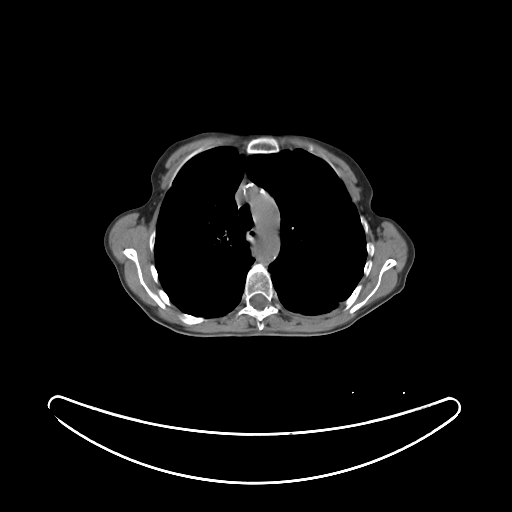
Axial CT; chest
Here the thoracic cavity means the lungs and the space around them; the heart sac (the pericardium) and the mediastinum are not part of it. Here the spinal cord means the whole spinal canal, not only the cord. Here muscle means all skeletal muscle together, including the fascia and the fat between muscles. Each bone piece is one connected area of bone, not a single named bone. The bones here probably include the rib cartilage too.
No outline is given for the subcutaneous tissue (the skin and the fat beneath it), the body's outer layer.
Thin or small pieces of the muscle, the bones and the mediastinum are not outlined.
{"thoracic_cavity":[[[217,147],[236,148],[245,157],[302,149],[326,162],[341,179],[359,216],[367,255],[363,275],[335,309],[305,315],[280,302],[268,270],[281,247],[279,208],[245,171],[234,199],[254,260],[239,303],[208,318],[172,303],[155,265],[160,208],[181,168]]],"mediastinum":[[[244,172],[252,182],[263,188],[273,198],[279,212],[279,238],[280,239],[279,252],[275,259],[267,266],[267,268],[262,263],[259,262],[254,263],[255,260],[251,255],[250,243],[246,239],[246,230],[240,223],[240,214],[235,199],[235,192],[244,175]]],"bones":[{"outer":[[259,263],[262,264],[267,269],[270,275],[273,288],[275,290],[278,300],[282,306],[277,313],[270,314],[262,320],[263,328],[261,330],[258,329],[257,321],[253,316],[248,314],[241,314],[237,317],[235,317],[233,312],[241,301],[247,272],[253,264]],"hole":[[258,294],[259,294],[260,295],[262,295],[267,300],[267,301],[268,302],[268,304],[267,305],[266,305],[263,308],[262,308],[261,309],[258,309],[257,308],[256,308],[255,307],[254,307],[251,304],[251,298],[253,296],[254,296],[255,295],[257,295]]},[[389,258],[394,259],[396,261],[396,264],[387,269],[382,274],[379,286],[375,292],[361,307],[354,312],[350,313],[347,309],[345,310],[344,301],[358,284],[361,284],[362,286],[355,301],[356,303],[361,301],[373,289],[377,283],[378,275],[384,262]],[[125,248],[135,249],[137,253],[137,257],[140,265],[143,280],[147,286],[155,293],[159,289],[162,289],[168,296],[172,304],[171,305],[167,305],[164,309],[160,307],[147,293],[139,280],[139,277],[137,273],[137,268],[135,263],[123,253],[123,250]],[[258,137],[272,137],[274,138],[277,141],[280,147],[280,150],[277,152],[272,152],[271,153],[252,153],[251,154],[248,154],[246,153],[245,152],[245,149],[246,148],[246,146],[247,144],[252,139],[254,138],[257,138]],[[205,144],[213,144],[214,145],[214,147],[207,149],[206,150],[204,150],[196,154],[190,159],[189,159],[180,168],[176,174],[175,177],[173,179],[172,183],[169,188],[169,182],[171,179],[171,177],[183,159],[187,155],[199,147]],[[182,312],[183,313],[186,313],[187,314],[189,314],[193,316],[197,316],[198,317],[203,317],[204,318],[207,318],[208,320],[207,321],[203,321],[202,322],[200,322],[199,323],[196,323],[195,324],[186,324],[182,322],[178,317],[178,315]],[[307,144],[311,144],[314,147],[314,149],[315,151],[318,154],[326,157],[336,167],[336,168],[338,170],[340,174],[340,177],[331,167],[331,166],[326,161],[325,161],[319,156],[317,156],[312,153],[310,153],[305,149],[304,149],[305,148],[305,146]],[[154,229],[155,229],[155,240],[154,241],[154,246],[153,247],[153,253],[152,253],[151,252],[151,251],[150,250],[150,248],[149,247],[149,238],[150,237],[150,235],[151,234],[151,233],[152,232],[152,231]]],"spinal_cord":[[[258,294],[259,294],[260,295],[262,295],[267,300],[267,301],[268,302],[268,304],[267,305],[266,305],[263,308],[262,308],[261,309],[258,309],[257,308],[256,308],[255,307],[254,307],[251,304],[251,298],[253,296],[254,296],[255,295],[257,295]]],"muscle":[[[213,136],[251,139],[244,151],[239,151],[233,146],[215,147],[213,143],[205,143],[187,154],[172,173],[159,208],[156,226],[148,238],[148,247],[154,257],[154,263],[149,265],[149,270],[152,279],[157,284],[159,282],[161,288],[155,292],[144,280],[135,248],[125,247],[122,253],[134,263],[138,280],[146,293],[164,310],[173,304],[177,307],[181,311],[177,317],[182,323],[195,325],[232,311],[235,318],[241,315],[253,317],[257,331],[198,332],[163,319],[152,306],[145,303],[131,290],[124,277],[123,265],[116,259],[109,245],[110,230],[121,217],[137,212],[144,217],[147,224],[150,222],[161,200],[161,181],[168,170],[165,164],[171,154],[183,145]],[[384,221],[391,223],[405,240],[407,244],[407,258],[402,270],[398,274],[396,286],[387,294],[363,306],[379,288],[383,274],[397,264],[394,258],[387,258],[378,272],[376,283],[372,289],[361,300],[356,302],[363,286],[359,282],[363,276],[366,277],[370,273],[372,268],[372,260],[369,258],[367,259],[367,256],[371,257],[375,251],[374,245],[366,241],[366,234],[369,230],[369,226],[376,237],[376,230]],[[341,303],[343,303],[344,305],[343,309],[345,311],[347,310],[350,314],[354,313],[361,308],[355,316],[350,320],[330,329],[309,332],[262,330],[264,328],[263,320],[270,315],[277,314],[283,307],[293,313],[305,316],[317,316],[327,314],[335,310]],[[282,137],[295,137],[310,141],[343,160],[349,166],[357,179],[355,185],[360,189],[360,199],[358,204],[361,207],[361,214],[359,215],[356,206],[352,202],[339,170],[326,156],[318,153],[311,143],[307,143],[303,149],[281,149],[278,141],[275,138]]],"torso":[[[209,130],[305,134],[333,144],[349,154],[372,186],[373,211],[395,220],[413,241],[415,257],[404,288],[349,327],[319,336],[193,337],[176,333],[150,319],[122,287],[104,249],[104,232],[117,214],[148,200],[151,194],[151,172],[158,158],[173,141]]]}